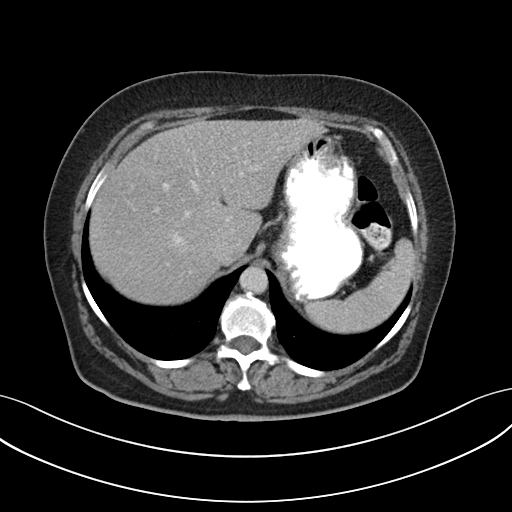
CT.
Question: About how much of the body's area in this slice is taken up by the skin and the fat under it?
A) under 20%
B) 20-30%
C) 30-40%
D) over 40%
Answer: B) 20-30%
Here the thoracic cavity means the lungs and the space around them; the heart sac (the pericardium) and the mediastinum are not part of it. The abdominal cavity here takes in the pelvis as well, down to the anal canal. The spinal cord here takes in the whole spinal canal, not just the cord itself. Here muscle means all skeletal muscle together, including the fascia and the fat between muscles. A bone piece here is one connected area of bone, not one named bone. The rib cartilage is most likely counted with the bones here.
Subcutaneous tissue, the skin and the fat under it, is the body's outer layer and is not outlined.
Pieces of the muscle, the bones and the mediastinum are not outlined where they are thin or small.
The spinal cord is outlined by (239, 336) (249, 336) (250, 337) (252, 337) (256, 340) (259, 346) (256, 349) (254, 350) (252, 350) (250, 352) (246, 354) (244, 354) (242, 353) (239, 350) (238, 350) (236, 348) (232, 346) (232, 341) (233, 339). The abdominal cavity is outlined by (252, 109) (283, 112) (364, 133) (386, 158) (407, 209) (417, 257) (412, 286) (391, 316) (377, 327) (340, 335) (308, 323) (284, 297) (281, 264) (270, 252) (246, 259) (197, 298) (177, 306) (131, 301) (96, 271) (88, 243) (87, 212) (108, 174) (134, 145) (155, 131). The torso is outlined by (189, 70) (351, 76) (392, 91) (424, 120) (436, 142) (450, 188) (455, 212) (455, 241) (447, 283) (421, 367) (405, 388) (363, 405) (311, 417) (223, 421) (173, 415) (126, 404) (80, 379) (71, 361) (44, 258) (44, 212) (56, 170) (81, 124) (106, 98) (135, 82). The muscle appears in 2 outlined pieces: piece 1: (230, 104) (310, 107) (379, 121) (391, 129) (405, 148) (419, 181) (428, 224) (428, 254) (419, 317) (412, 339) (396, 363) (337, 393) (296, 403) (261, 403) (253, 400) (246, 391) (252, 388) (247, 372) (255, 361) (264, 361) (273, 366) (282, 360) (298, 375) (322, 377) (326, 371) (345, 367) (370, 350) (378, 350) (400, 330) (408, 318) (413, 306) (410, 300) (418, 257) (415, 240) (419, 227) (418, 213) (411, 191) (408, 188) (405, 190) (404, 200) (393, 177) (392, 168) (399, 164) (399, 157) (391, 140) (378, 126) (363, 126) (377, 140) (385, 156) (379, 145) (361, 131) (329, 126) (273, 109) (232, 111) (149, 132) (108, 173) (109, 163) (106, 162) (91, 182) (84, 200) (86, 215) (80, 247) (83, 273) (80, 284) (90, 308) (107, 328) (113, 328) (128, 344) (150, 357) (154, 365) (164, 369) (186, 367) (195, 359) (192, 356) (202, 351) (220, 333) (223, 341) (217, 344) (215, 361) (233, 359) (241, 372) (237, 389) (231, 391) (225, 399) (210, 397) (185, 400) (160, 393) (99, 352) (82, 329) (72, 285) (70, 239) (73, 205) (90, 166) (109, 140) (141, 115) (159, 109) with a hole at (150, 120) (152, 120) (154, 122) (154, 124) (153, 125) (153, 126) (151, 128) (150, 128) (149, 129) (141, 129) (140, 128) (139, 128) (139, 126) (142, 123) (143, 123) (144, 122) (146, 122) (147, 121) (149, 121); piece 2: (273, 334) (275, 335) (275, 337) (278, 343) (281, 346) (281, 347) (287, 355) (283, 355) (282, 356) (280, 356) (280, 355) (278, 353) (274, 351) (271, 348) (269, 344) (269, 342) (270, 340) (272, 339) (273, 337). The bones appear in 7 outlined pieces: piece 1: (245, 293) (264, 301) (275, 318) (270, 348) (280, 357) (325, 371) (324, 375) (298, 374) (282, 359) (273, 365) (258, 359) (246, 372) (251, 388) (238, 389) (242, 377) (239, 364) (230, 357) (216, 361) (215, 354) (218, 344) (224, 341) (219, 318) (225, 302) with a hole at (239, 336) (249, 336) (250, 337) (252, 337) (256, 340) (259, 346) (256, 349) (254, 350) (252, 350) (250, 352) (246, 354) (244, 354) (242, 353) (239, 350) (238, 350) (236, 348) (232, 346) (232, 341) (233, 339); piece 2: (365, 125) (370, 125) (374, 127) (378, 127) (384, 132) (384, 133) (390, 140) (395, 150) (395, 152) (398, 157) (398, 161) (399, 162) (396, 166) (392, 167) (390, 165) (382, 146) (379, 143) (378, 140) (371, 133) (366, 130) (364, 126); piece 3: (106, 163) (108, 163) (108, 167) (107, 168) (107, 176) (97, 190) (93, 198) (93, 200) (91, 202) (91, 204) (88, 210) (87, 211) (85, 211) (85, 209) (84, 208) (84, 206) (85, 205) (85, 200) (86, 199) (87, 193) (89, 190) (89, 188) (100, 169); piece 4: (410, 301) (412, 302) (412, 306) (411, 307) (411, 309) (407, 316) (407, 318) (405, 320) (404, 323) (399, 329) (399, 330) (386, 343) (385, 343) (378, 349) (376, 350) (372, 350) (372, 349) (387, 334) (387, 333) (391, 329) (391, 328) (397, 321) (397, 320); piece 5: (82, 278) (84, 279) (86, 283) (86, 285) (93, 299) (95, 301) (96, 304) (100, 309) (101, 312) (105, 318) (111, 325) (112, 329) (107, 327) (100, 320) (100, 319) (91, 308) (88, 301) (85, 297) (85, 295) (82, 289) (82, 285) (81, 284) (81, 280); piece 6: (407, 189) (410, 191) (412, 195) (415, 204) (415, 207) (416, 208) (416, 212) (417, 213) (417, 222) (418, 223) (418, 227) (417, 228) (417, 233) (415, 236) (414, 236) (412, 231) (412, 226) (411, 225) (411, 222) (408, 213) (408, 209) (405, 201) (405, 192); piece 7: (190, 357) (193, 357) (194, 359) (186, 366) (183, 366) (182, 367) (174, 367) (173, 368) (164, 368) (163, 367) (160, 367) (154, 364) (150, 360) (150, 358) (154, 358) (155, 359) (160, 359) (161, 360) (177, 360) (178, 359) (184, 359) (185, 358) (189, 358). The thoracic cavity appears in 2 outlined pieces: piece 1: (87, 213) (87, 243) (95, 271) (99, 277) (120, 296) (140, 305) (166, 308) (187, 304) (197, 299) (216, 280) (245, 265) (220, 312) (218, 318) (219, 332) (202, 350) (189, 357) (177, 359) (151, 357) (128, 343) (112, 326) (94, 299) (84, 277) (81, 247); piece 2: (268, 270) (275, 276) (287, 303) (304, 321) (318, 330) (340, 336) (363, 334) (377, 328) (392, 316) (404, 300) (410, 288) (412, 287) (412, 290) (408, 303) (396, 321) (371, 349) (345, 366) (323, 370) (304, 365) (291, 358) (273, 333) (276, 326) (276, 318) (270, 304). The mediastinum is outlined by (263, 253) (270, 253) (277, 259) (280, 264) (281, 289) (276, 276) (270, 270) (268, 269) (266, 271) (269, 285) (270, 307) (268, 306) (264, 300) (254, 296) (250, 292) (237, 293) (233, 296) (229, 297) (240, 274) (246, 267) (245, 264) (240, 265) (246, 260).